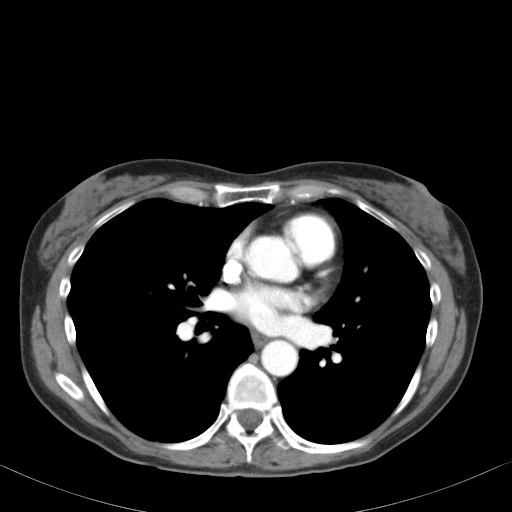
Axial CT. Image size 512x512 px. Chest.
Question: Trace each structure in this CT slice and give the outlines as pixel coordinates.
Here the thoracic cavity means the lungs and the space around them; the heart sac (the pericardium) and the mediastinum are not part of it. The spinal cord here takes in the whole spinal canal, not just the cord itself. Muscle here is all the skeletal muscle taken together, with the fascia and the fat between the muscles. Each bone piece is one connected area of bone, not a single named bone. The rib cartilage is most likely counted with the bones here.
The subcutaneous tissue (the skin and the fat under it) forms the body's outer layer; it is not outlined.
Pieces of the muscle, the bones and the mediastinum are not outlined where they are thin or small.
Answer: {"pericardium":[[[290,203],[300,203],[315,207],[326,212],[333,218],[339,230],[341,243],[341,271],[333,292],[327,301],[316,311],[288,329],[273,335],[268,335],[237,321],[223,310],[220,301],[220,276],[226,253],[234,239],[244,228],[253,220],[266,215],[272,209]]],"mediastinum":[[[219,279],[219,301],[222,310],[237,322],[239,322],[262,334],[273,336],[286,331],[313,314],[299,333],[300,357],[297,366],[279,382],[276,389],[263,370],[250,362],[243,362],[252,353],[254,347],[248,329],[244,325],[242,324],[239,324],[233,322],[219,310],[216,291],[216,284]],[[319,198],[321,198],[319,199],[318,202],[333,217],[329,213],[322,209],[306,203],[301,203],[300,202],[284,203],[272,208],[273,207],[272,203],[279,202],[282,200],[295,200],[296,201],[300,201],[301,200],[309,200],[310,199],[318,199]]],"spinal_cord":[[[244,409],[253,409],[254,410],[256,410],[257,411],[258,411],[261,415],[261,421],[260,422],[260,423],[258,425],[257,425],[251,431],[249,431],[248,430],[247,430],[239,422],[239,421],[238,420],[238,412],[239,411],[240,411],[241,410],[243,410]]],"thoracic_cavity":[[[150,198],[192,205],[204,203],[218,208],[251,201],[272,205],[233,239],[215,284],[218,310],[247,329],[253,349],[229,377],[224,399],[213,422],[199,434],[174,442],[144,438],[126,427],[110,410],[80,355],[67,304],[73,268],[94,232],[136,203]],[[327,197],[338,197],[354,204],[405,240],[425,271],[431,303],[424,348],[398,403],[371,431],[359,438],[338,443],[314,442],[295,432],[283,415],[277,394],[280,382],[298,366],[302,329],[334,294],[342,278],[345,261],[342,232],[334,216],[319,202]]],"bones":[{"outer":[[242,363],[250,363],[268,376],[286,423],[302,438],[319,444],[366,437],[370,441],[334,453],[309,453],[292,447],[282,449],[267,436],[254,445],[250,463],[244,446],[222,428],[207,443],[191,449],[161,447],[161,443],[191,439],[214,422],[230,377]],"hole":[[244,409],[253,409],[254,410],[256,410],[257,411],[258,411],[261,415],[261,421],[260,422],[260,423],[258,425],[257,425],[251,431],[249,431],[248,430],[247,430],[239,422],[239,421],[238,420],[238,412],[239,411],[240,411],[241,410],[243,410]]},[[275,182],[284,188],[304,184],[336,187],[343,190],[343,193],[300,200],[285,197],[271,203],[251,200],[218,207],[210,199],[205,203],[192,204],[176,200],[168,192],[168,189],[172,187],[189,186],[210,194],[217,183],[228,186],[251,186]],[[419,364],[421,365],[421,374],[420,375],[419,382],[417,385],[415,392],[407,404],[396,415],[391,417],[391,414],[392,412],[395,409],[399,403],[401,398],[403,396],[406,389],[408,387],[408,385],[413,376],[413,374],[417,366]],[[82,365],[84,365],[85,366],[97,390],[99,392],[105,404],[111,412],[111,414],[110,415],[107,415],[98,406],[98,405],[95,402],[95,401],[89,393],[86,387],[86,385],[83,380],[83,378],[82,377],[82,372],[81,371],[81,366]],[[56,372],[60,372],[61,373],[66,375],[69,378],[70,378],[72,380],[72,381],[81,389],[81,390],[83,393],[83,400],[82,401],[79,401],[78,400],[76,400],[75,399],[74,399],[71,396],[70,396],[57,383],[57,382],[55,379],[55,373]],[[355,198],[359,198],[364,203],[373,207],[375,209],[381,212],[397,227],[397,230],[395,230],[393,229],[388,225],[382,222],[379,219],[376,218],[374,216],[371,215],[369,213],[364,211],[362,209],[358,207],[354,203],[354,199]],[[130,200],[134,200],[135,201],[135,203],[133,205],[128,207],[123,211],[118,213],[116,215],[115,215],[113,217],[112,217],[110,219],[106,221],[103,224],[102,224],[96,229],[94,229],[93,228],[93,225],[102,216],[103,216],[114,208]],[[67,312],[68,312],[71,316],[71,318],[73,321],[73,324],[74,325],[74,328],[75,329],[75,345],[71,345],[68,342],[68,340],[67,339],[67,337],[66,336],[66,334],[65,333],[65,328],[64,327],[64,317],[65,316],[65,314]],[[414,247],[418,247],[420,249],[421,249],[427,255],[427,256],[429,258],[429,260],[431,264],[431,266],[429,270],[426,271],[423,267],[423,266],[421,264],[421,263],[419,261],[419,260],[417,258],[413,250],[413,248]],[[81,243],[83,243],[85,245],[84,246],[84,248],[83,249],[80,256],[78,258],[78,259],[76,261],[76,262],[74,264],[74,265],[73,266],[70,266],[68,264],[68,257],[69,256],[69,254],[71,252],[71,251],[77,245],[78,245]]],"torso":[[[152,157],[192,160],[246,173],[315,160],[357,161],[390,168],[425,184],[464,221],[483,285],[472,359],[450,401],[425,427],[373,461],[289,477],[162,470],[120,459],[64,426],[34,396],[21,367],[18,301],[25,246],[42,213],[79,182],[108,166]]],"muscle":[{"outer":[[182,179],[241,185],[217,182],[210,193],[198,187],[176,185],[167,189],[173,199],[150,197],[137,202],[130,199],[114,207],[92,225],[95,230],[87,242],[70,251],[67,257],[67,264],[73,267],[70,276],[64,275],[59,281],[58,295],[66,299],[68,311],[63,317],[67,342],[76,345],[83,362],[80,371],[85,387],[107,416],[112,413],[136,435],[174,451],[205,445],[222,429],[243,446],[249,464],[255,445],[267,437],[272,437],[282,450],[292,448],[309,454],[334,454],[367,445],[371,438],[362,437],[390,415],[396,416],[416,392],[422,374],[420,358],[425,347],[434,343],[438,332],[438,320],[431,316],[431,309],[441,300],[439,284],[430,283],[427,277],[426,272],[432,266],[428,255],[418,246],[412,248],[382,212],[407,227],[439,260],[449,276],[456,305],[464,309],[465,347],[452,377],[420,413],[368,451],[295,469],[265,470],[251,464],[212,468],[173,463],[136,453],[114,435],[84,421],[49,391],[38,376],[30,342],[35,307],[37,304],[43,307],[55,267],[88,223],[146,188]],"hole":[[56,372],[60,372],[61,373],[66,375],[69,378],[70,378],[72,380],[72,381],[81,389],[81,390],[83,393],[83,400],[82,401],[79,401],[78,400],[76,400],[75,399],[74,399],[71,396],[70,396],[57,383],[57,382],[55,379],[55,373]]},[[294,179],[317,179],[334,183],[354,192],[371,205],[364,202],[359,197],[355,197],[353,199],[353,203],[336,196],[342,195],[344,193],[343,189],[336,186],[325,186],[321,184],[304,183],[284,187],[276,181],[266,184],[256,184],[265,181],[286,181]]]}